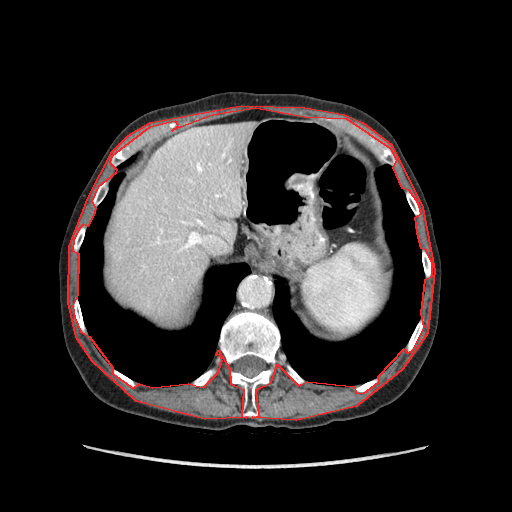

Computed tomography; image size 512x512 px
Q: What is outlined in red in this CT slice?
A: red: muscle.
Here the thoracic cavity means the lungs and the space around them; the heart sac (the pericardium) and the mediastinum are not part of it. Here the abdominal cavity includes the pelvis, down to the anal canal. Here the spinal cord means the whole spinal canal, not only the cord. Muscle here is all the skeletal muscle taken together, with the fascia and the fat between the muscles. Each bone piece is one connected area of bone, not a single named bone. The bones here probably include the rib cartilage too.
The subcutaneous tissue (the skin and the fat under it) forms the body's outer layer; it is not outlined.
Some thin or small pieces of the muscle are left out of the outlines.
Outlined structures:
muscle: 241 105; 304 107; 344 114; 362 122; 391 144; 422 207; 434 270; 427 333; 402 369; 356 406; 296 420; 252 417; 259 415; 256 389; 271 382; 277 364; 298 385; 307 381; 354 386; 355 392; 363 393; 379 381; 378 376; 404 348; 407 353; 413 349; 424 327; 421 313; 425 279; 432 275; 432 263; 426 250; 421 248; 417 233; 415 217; 421 213; 418 203; 409 190; 402 188; 393 167; 397 160; 391 149; 347 119; 304 117; 255 108; 212 115; 172 130; 178 125; 175 121; 149 127; 111 156; 109 162; 116 169; 115 173; 97 187; 91 201; 95 208; 93 215; 87 226; 83 224; 78 229; 73 240; 72 250; 78 253; 77 295; 72 305; 74 317; 80 331; 89 336; 112 367; 112 373; 133 388; 139 383; 152 387; 188 383; 203 387; 218 372; 222 360; 219 354; 216 355; 218 350; 229 368; 230 383; 243 389; 241 416; 246 417; 205 419; 136 401; 92 361; 76 337; 68 302; 69 246; 88 197; 112 151; 128 135; 150 122
abdominal cavity: 255 109; 321 118; 345 132; 374 163; 393 283; 382 313; 355 337; 329 343; 312 336; 289 308; 285 280; 243 262; 206 272; 195 320; 180 331; 159 329; 122 309; 104 288; 102 238; 124 177; 116 171; 130 164; 142 145; 166 132
torso: 227 91; 299 93; 365 111; 394 137; 422 189; 441 260; 437 329; 428 355; 409 387; 371 414; 297 429; 235 425; 210 430; 182 426; 125 412; 101 401; 88 389; 68 354; 59 301; 60 247; 75 203; 102 156; 118 133; 142 114
mediastinum 1: 251 267; 255 268; 256 270; 258 270; 260 272; 268 274; 274 280; 273 281; 275 286; 275 293; 272 302; 272 315; 273 317; 257 311; 250 311; 249 310; 240 310; 236 311; 229 315; 234 305; 237 287; 241 280; 251 272
mediastinum 2: 347 134; 352 136; 359 142; 363 144; 375 156; 375 157; 380 162; 381 162; 382 164; 379 167; 378 167; 377 169; 376 169; 376 166; 375 165; 375 163; 374 161; 364 152; 363 152; 355 145; 354 145; 350 141; 348 137; 348 135
thoracic cavity 1: 119 172; 123 177; 101 238; 101 282; 122 310; 159 330; 180 332; 196 320; 203 303; 206 274; 212 267; 243 263; 250 269; 236 287; 210 366; 187 383; 152 386; 134 380; 107 361; 85 325; 78 297; 79 251; 96 208
thoracic cavity 2: 383 164; 393 168; 415 219; 424 274; 420 317; 404 347; 379 375; 354 385; 308 381; 292 367; 281 349; 281 333; 273 315; 274 279; 284 280; 289 310; 308 334; 322 342; 336 344; 355 338; 380 317; 391 297; 395 271; 375 176
thoracic cavity 3: 133 155; 134 155; 134 156; 135 157; 134 158; 134 159; 130 163; 129 163; 127 165; 126 165; 121 169; 118 169; 117 170; 116 170; 117 169; 116 168; 120 164; 121 164; 123 162; 124 162; 126 160; 127 160; 131 156; 132 156
spinal cord: 246 355; 253 355; 259 358; 261 358; 265 362; 266 364; 266 368; 262 370; 256 375; 252 377; 247 377; 243 374; 242 374; 240 372; 235 371; 233 368; 233 364; 234 362; 236 360; 239 359; 241 357; 243 357
bones 1: 240 311; 257 312; 274 319; 280 333; 280 349; 291 367; 305 380; 302 384; 294 382; 285 374; 284 367; 277 363; 270 382; 255 389; 258 415; 251 417; 242 416; 244 389; 239 384; 231 383; 228 375; 230 368; 218 349; 224 321, around a hole outlined by 246 355; 253 355; 259 358; 261 358; 265 362; 266 364; 266 368; 262 370; 256 375; 252 377; 247 377; 243 374; 242 374; 240 372; 235 371; 233 368; 233 364; 234 362; 236 360; 239 359; 241 357; 243 357
bones 2: 326 117; 330 117; 334 119; 347 120; 360 126; 369 134; 379 140; 390 149; 396 160; 396 164; 392 166; 387 163; 382 163; 382 162; 380 161; 363 143; 359 141; 355 137; 347 133; 333 123; 323 119; 322 118; 325 118
bones 3: 171 122; 177 123; 177 125; 175 127; 170 129; 169 131; 164 132; 150 141; 142 144; 137 149; 137 151; 135 153; 120 163; 116 167; 113 167; 112 166; 110 162; 112 156; 120 147; 124 145; 129 140; 149 128; 163 123; 170 123
bones 4: 217 355; 219 355; 221 357; 221 360; 219 364; 217 366; 217 372; 207 382; 207 383; 205 385; 203 386; 194 386; 192 385; 191 384; 191 382; 194 379; 195 379; 197 377; 201 375; 210 367; 214 365; 214 358
bones 5: 421 317; 422 317; 423 318; 423 327; 421 330; 421 332; 419 335; 419 337; 418 338; 417 341; 415 343; 414 346; 409 352; 407 352; 405 350; 405 346; 407 344; 407 342; 409 340; 409 339; 410 338; 410 337; 411 336; 419 319
bones 6: 105 180; 107 181; 109 181; 109 187; 108 188; 108 191; 106 195; 100 202; 100 203; 96 207; 94 207; 92 204; 92 201; 93 200; 93 198; 96 193; 96 191; 98 187; 100 185; 100 184; 103 181
bones 7: 75 296; 77 296; 78 298; 78 301; 79 302; 79 305; 81 309; 81 313; 82 314; 84 325; 86 328; 88 335; 85 335; 81 331; 78 325; 78 323; 76 320; 75 314; 74 313; 74 306; 73 305; 74 304; 74 298
bones 8: 421 249; 423 249; 424 250; 425 250; 425 251; 427 253; 427 254; 428 255; 428 256; 430 259; 430 262; 431 263; 431 275; 429 278; 425 278; 425 274; 424 273; 424 270; 423 269; 423 265; 422 264; 422 260; 421 259
bones 9: 83 225; 85 225; 87 227; 86 228; 86 230; 85 231; 85 234; 84 235; 84 237; 83 238; 82 243; 79 248; 79 250; 78 251; 78 252; 75 252; 73 250; 73 244; 74 243; 74 240; 76 237; 76 235; 77 234; 79 229
bones 10: 405 191; 409 191; 414 197; 414 198; 417 203; 417 205; 418 206; 418 208; 419 209; 419 212; 420 213; 418 216; 415 216; 414 215; 414 214; 413 213; 413 212; 412 211; 412 210; 407 201; 407 199; 406 198; 406 196; 405 195
bones 11: 112 368; 115 368; 118 371; 119 371; 127 377; 128 377; 129 378; 132 379; 134 381; 137 382; 138 383; 137 384; 137 385; 135 387; 133 387; 132 386; 130 386; 129 385; 126 384; 124 382; 123 382; 113 373; 113 372; 112 371
bones 12: 376 377; 378 377; 378 381; 372 387; 371 387; 369 389; 368 389; 363 392; 358 392; 357 391; 355 391; 354 390; 354 387; 356 385; 359 385; 360 384; 362 384; 363 383; 364 383; 365 382; 367 382; 368 381; 369 381